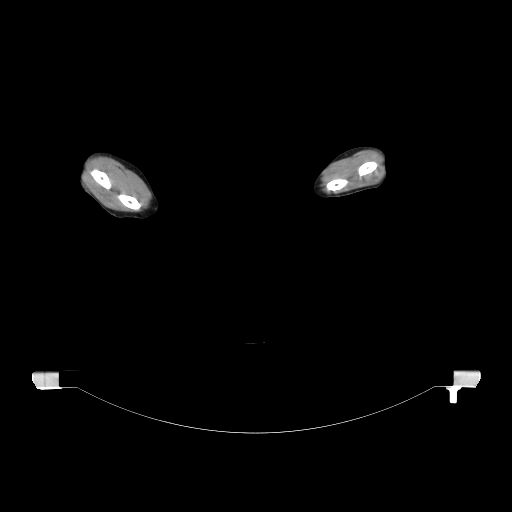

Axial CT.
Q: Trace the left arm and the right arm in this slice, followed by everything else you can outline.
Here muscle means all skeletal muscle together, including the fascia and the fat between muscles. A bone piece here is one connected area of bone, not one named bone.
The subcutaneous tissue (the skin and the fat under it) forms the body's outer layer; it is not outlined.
A: {"left_arm":[[[363,145],[377,146],[384,152],[386,157],[386,169],[387,170],[387,176],[385,179],[385,181],[377,188],[368,189],[340,197],[320,197],[316,195],[312,189],[313,182],[318,174],[329,162],[338,154],[350,148],[357,146],[362,146]]],"right_arm":[[[96,151],[105,151],[115,154],[135,165],[145,175],[154,194],[157,198],[159,205],[158,211],[153,216],[142,219],[132,218],[131,217],[120,218],[113,216],[104,211],[89,195],[82,190],[79,183],[79,176],[82,167],[82,162],[86,156],[90,153]]],"muscle":[{"outer":[[98,155],[104,155],[105,156],[108,156],[117,160],[128,169],[133,171],[143,181],[149,192],[149,195],[150,196],[149,203],[147,207],[146,207],[141,211],[130,211],[129,210],[127,211],[124,211],[123,210],[117,210],[116,209],[113,209],[112,208],[105,206],[101,202],[100,202],[99,200],[84,186],[83,182],[82,181],[82,173],[84,170],[84,166],[85,165],[85,163],[90,157],[92,157],[93,156],[97,156]],"holes":[[[94,168],[96,168],[106,173],[106,174],[108,176],[108,177],[111,181],[111,187],[109,189],[106,189],[104,187],[100,185],[97,182],[96,182],[95,180],[92,177],[92,176],[90,174],[90,171]],[[119,193],[125,193],[128,195],[130,195],[131,196],[133,196],[134,197],[135,197],[136,198],[136,199],[139,202],[139,204],[140,205],[140,206],[138,208],[135,208],[134,209],[130,209],[128,207],[127,207],[126,206],[125,206],[117,198],[117,195]]]},{"outer":[[363,149],[374,149],[375,150],[379,151],[383,155],[383,157],[384,158],[385,171],[384,172],[383,177],[381,179],[381,180],[379,182],[375,184],[366,185],[365,186],[361,186],[360,187],[356,187],[352,189],[344,190],[338,193],[329,193],[328,192],[326,192],[326,191],[323,189],[321,185],[321,183],[322,182],[322,177],[327,171],[327,170],[333,164],[333,163],[342,158],[348,157],[352,155],[354,153]],"holes":[[[366,161],[376,161],[378,163],[378,166],[376,168],[376,169],[375,170],[374,170],[372,172],[371,172],[370,173],[368,173],[365,175],[363,175],[361,177],[360,177],[358,174],[357,169],[358,168],[358,167],[361,164],[362,164],[364,162],[365,162]],[[335,178],[345,178],[346,179],[347,179],[348,180],[348,183],[345,186],[342,186],[340,188],[339,188],[338,189],[329,189],[328,188],[327,188],[327,185],[326,184],[326,183],[327,183],[329,181],[330,181],[332,179],[334,179]]]}],"bones":[[[94,168],[96,168],[106,173],[106,174],[108,176],[108,177],[111,181],[111,187],[109,189],[106,189],[104,187],[100,185],[97,182],[96,182],[95,180],[92,177],[92,176],[90,174],[90,171]],[[119,193],[125,193],[128,195],[130,195],[131,196],[133,196],[134,197],[135,197],[136,198],[136,199],[139,202],[139,204],[140,205],[140,206],[138,208],[135,208],[134,209],[130,209],[128,207],[127,207],[126,206],[125,206],[117,198],[117,195]],[[366,161],[376,161],[378,163],[378,166],[376,168],[376,169],[375,170],[374,170],[372,172],[371,172],[370,173],[368,173],[365,175],[363,175],[361,177],[360,177],[358,174],[357,169],[358,168],[358,167],[361,164],[362,164],[364,162],[365,162]],[[335,178],[345,178],[346,179],[347,179],[348,180],[348,183],[345,186],[342,186],[340,188],[339,188],[338,189],[329,189],[328,188],[327,188],[327,185],[326,184],[326,183],[327,183],[329,181],[330,181],[332,179],[334,179]]]}